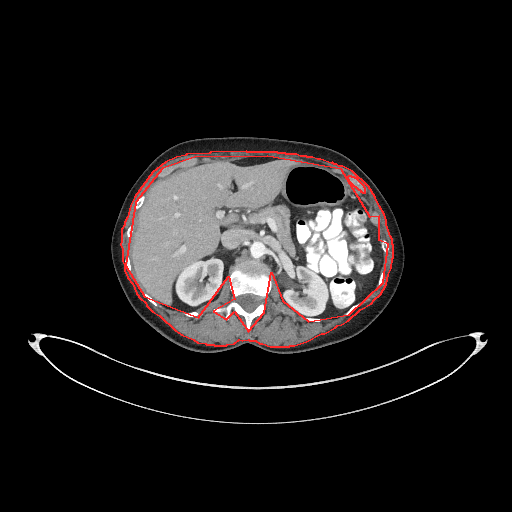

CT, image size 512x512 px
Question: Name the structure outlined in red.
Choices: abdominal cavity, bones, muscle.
Answer: red: muscle.
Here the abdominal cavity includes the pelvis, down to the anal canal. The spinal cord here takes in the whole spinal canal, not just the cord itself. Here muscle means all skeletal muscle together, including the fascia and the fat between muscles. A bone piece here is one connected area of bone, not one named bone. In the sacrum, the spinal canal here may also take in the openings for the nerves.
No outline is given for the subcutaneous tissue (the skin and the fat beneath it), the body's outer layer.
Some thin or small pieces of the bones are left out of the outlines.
The muscle is outlined by (270, 346) (289, 346) (290, 345) (294, 345) (306, 341) (321, 333) (324, 333) (335, 327) (337, 325) (341, 324) (348, 320) (360, 309) (371, 303) (374, 299) (380, 294) (386, 284) (388, 274) (391, 268) (392, 258) (393, 257) (393, 245) (392, 244) (392, 239) (390, 236) (386, 224) (386, 220) (384, 214) (379, 206) (375, 197) (368, 186) (352, 171) (342, 166) (339, 166) (336, 164) (334, 164) (332, 162) (331, 163) (320, 159) (317, 159) (312, 157) (307, 157) (306, 156) (300, 156) (296, 154) (286, 154) (285, 153) (278, 153) (277, 152) (247, 152) (246, 151) (210, 152) (209, 153) (186, 154) (185, 155) (176, 157) (165, 162) (152, 172) (134, 197) (130, 205) (127, 217) (124, 222) (124, 225) (121, 229) (121, 241) (120, 244) (122, 249) (122, 261) (124, 265) (124, 270) (127, 277) (132, 283) (136, 293) (140, 298) (145, 302) (146, 305) (152, 311) (159, 315) (175, 330) (181, 334) (193, 339) (197, 342) (205, 343) (206, 344) (213, 344) (214, 345) (226, 345) (227, 344) (234, 343) (239, 339) (242, 340) (248, 339) (249, 340) (255, 340) (259, 343) (262, 343) with holes at (248, 331) (264, 312) (271, 272) (282, 300) (308, 321) (349, 314) (383, 282) (388, 244) (379, 240) (379, 216) (370, 217) (341, 169) (267, 156) (194, 157) (162, 168) (135, 202) (125, 265) (144, 296) (198, 317) (228, 276) (234, 299) (213, 311) (226, 319) (234, 311) and at (362, 192) (365, 192) (365, 188) (364, 187) (364, 186) (356, 178) (355, 178) (354, 177) (352, 177) (351, 176) (348, 176) (347, 177) (347, 178) (348, 179) (348, 180) (354, 186) (355, 186) (358, 189) (359, 189) (360, 190) (360, 191) (361, 191). The spinal cord is outlined by (249, 312) (250, 312) (251, 311) (252, 311) (260, 303) (260, 302) (261, 301) (261, 299) (260, 298) (260, 297) (259, 296) (257, 296) (256, 295) (253, 295) (252, 294) (244, 294) (243, 295) (240, 295) (237, 298) (237, 301) (238, 302) (238, 303) (246, 311) (248, 311). The abdominal cavity is outlined by (322, 318) (339, 317) (365, 297) (377, 281) (382, 259) (379, 236) (368, 206) (342, 176) (320, 164) (254, 156) (197, 163) (156, 180) (138, 212) (130, 257) (138, 281) (158, 303) (172, 309) (195, 310) (217, 297) (236, 262) (252, 259) (270, 267) (287, 305) (302, 315). The bones appear in 6 outlined pieces: piece 1: (248, 331) (253, 319) (260, 316) (264, 312) (264, 299) (271, 288) (269, 267) (264, 263) (252, 260) (236, 263) (233, 266) (229, 276) (229, 287) (234, 299) (224, 307) (213, 309) (214, 312) (224, 312) (226, 319) (229, 318) (232, 311) (242, 316) (245, 320) (246, 329), around a hole outlined by (249, 312) (250, 312) (251, 311) (252, 311) (260, 303) (260, 302) (261, 301) (261, 299) (260, 298) (260, 297) (259, 296) (257, 296) (256, 295) (253, 295) (252, 294) (244, 294) (243, 295) (240, 295) (237, 298) (237, 301) (238, 302) (238, 303) (246, 311) (248, 311); piece 2: (159, 177) (161, 177) (168, 174) (174, 169) (178, 167) (181, 167) (182, 166) (185, 166) (186, 165) (191, 165) (192, 164) (194, 164) (198, 161) (198, 159) (194, 157) (193, 158) (188, 158) (178, 163) (176, 163) (169, 166) (166, 166) (162, 168) (158, 172) (158, 176); piece 3: (362, 192) (365, 192) (365, 188) (364, 187) (364, 186) (356, 178) (355, 178) (354, 177) (352, 177) (351, 176) (348, 176) (347, 177) (347, 178) (348, 179) (348, 180) (354, 186) (355, 186) (358, 189) (359, 189) (360, 190) (360, 191) (361, 191); piece 4: (136, 209) (138, 209) (142, 205) (142, 204) (143, 203) (143, 202) (144, 201) (144, 199) (145, 198) (145, 196) (144, 195) (143, 195) (142, 196) (141, 196) (135, 202) (135, 204) (134, 205) (134, 206) (135, 207) (135, 208); piece 5: (155, 306) (156, 306) (157, 305) (157, 303) (155, 301) (155, 300) (151, 296) (150, 296) (149, 295) (149, 294) (147, 292) (146, 292) (145, 291) (144, 292) (144, 296) (153, 305) (154, 305); piece 6: (345, 315) (347, 315) (348, 314) (349, 314) (353, 310) (354, 310) (359, 305) (359, 303) (358, 302) (357, 303) (356, 303) (355, 304) (354, 304) (352, 306) (351, 306) (345, 312) (345, 313) (344, 314). The torso is outlined by (202, 353) (226, 351) (246, 343) (273, 353) (323, 347) (358, 334) (387, 306) (403, 271) (403, 241) (386, 199) (351, 159) (331, 148) (301, 141) (253, 136) (204, 137) (169, 147) (136, 179) (125, 196) (111, 237) (111, 258) (118, 281) (129, 303) (146, 323) (177, 345).